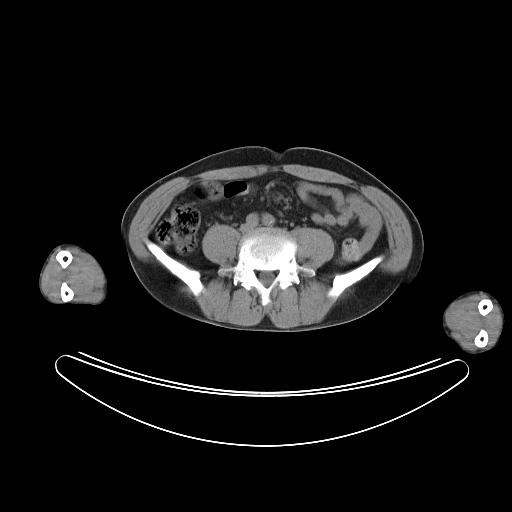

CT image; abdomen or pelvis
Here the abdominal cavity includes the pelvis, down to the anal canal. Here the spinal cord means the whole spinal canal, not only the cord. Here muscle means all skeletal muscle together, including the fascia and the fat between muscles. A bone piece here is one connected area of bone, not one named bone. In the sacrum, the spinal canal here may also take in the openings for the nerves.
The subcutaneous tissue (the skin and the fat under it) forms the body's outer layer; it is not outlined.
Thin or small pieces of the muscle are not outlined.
{"left_arm":[[[476,289],[485,290],[492,294],[498,300],[504,312],[504,320],[503,321],[501,332],[499,335],[499,338],[496,345],[493,348],[487,351],[476,354],[471,354],[463,351],[455,342],[450,339],[445,334],[442,327],[442,314],[446,306],[454,298],[462,293]]],"spinal_cord":[[[259,269],[260,269],[263,271],[272,271],[273,270],[276,271],[276,272],[277,273],[276,276],[275,276],[274,277],[274,278],[268,286],[265,286],[262,283],[262,282],[257,276],[257,275],[256,274],[256,272],[257,271],[257,270],[258,270]]],"muscle":[[[258,164],[323,168],[383,191],[401,208],[411,228],[412,252],[407,265],[397,273],[377,271],[370,274],[316,323],[284,328],[275,326],[267,316],[254,325],[207,317],[193,299],[179,290],[174,276],[198,297],[205,290],[200,272],[216,272],[219,276],[232,273],[233,285],[239,284],[247,291],[253,288],[265,307],[271,302],[275,288],[284,290],[298,285],[300,272],[310,277],[316,272],[341,273],[333,276],[326,293],[328,298],[336,300],[385,257],[383,253],[389,245],[384,218],[379,208],[358,189],[276,170],[190,184],[173,197],[155,221],[149,238],[144,240],[147,249],[170,273],[157,263],[140,260],[130,246],[129,227],[140,204],[155,189],[181,176]],[[67,247],[77,248],[88,255],[98,266],[104,280],[103,293],[98,301],[73,301],[74,291],[64,280],[59,288],[62,301],[53,300],[44,293],[41,280],[45,267],[52,254],[61,249],[56,253],[55,259],[65,269],[73,259],[72,253],[64,248]],[[473,294],[485,294],[488,297],[482,298],[477,303],[477,310],[482,316],[492,310],[493,302],[499,309],[501,320],[493,343],[486,346],[488,332],[481,328],[473,338],[473,343],[478,348],[471,350],[465,348],[452,336],[446,324],[446,314],[455,302]],[[305,226],[321,229],[327,232],[331,236],[334,242],[334,252],[332,257],[329,260],[323,263],[316,270],[311,267],[305,266],[298,263],[296,258],[296,253],[298,250],[298,243],[296,241],[296,239],[292,235],[291,232],[297,227],[304,227]],[[215,224],[224,224],[230,226],[232,228],[235,229],[238,232],[239,235],[241,236],[237,247],[237,259],[235,264],[231,266],[228,266],[227,267],[220,266],[217,263],[215,263],[208,259],[205,256],[202,250],[202,240],[203,237],[207,230]]],"bones":[{"outer":[[256,228],[289,231],[297,243],[297,263],[315,271],[312,276],[300,271],[298,284],[293,283],[284,289],[275,287],[270,293],[270,302],[265,306],[253,287],[247,290],[239,283],[234,285],[232,272],[225,275],[217,273],[220,267],[236,264],[241,238]],"hole":[[259,269],[260,269],[263,271],[272,271],[273,270],[276,271],[276,272],[277,273],[276,276],[275,276],[274,277],[274,278],[268,286],[265,286],[262,283],[262,282],[257,276],[257,275],[256,274],[256,272],[257,271],[257,270],[258,270]]},[[146,239],[151,240],[159,246],[169,256],[177,260],[188,268],[199,271],[200,273],[200,280],[204,287],[204,290],[198,296],[195,296],[190,290],[189,287],[178,277],[171,273],[171,272],[164,265],[163,265],[148,249],[145,243],[145,240]],[[379,254],[383,254],[384,256],[383,259],[377,265],[377,266],[367,275],[355,283],[348,286],[338,296],[336,299],[333,299],[327,296],[327,293],[332,285],[332,281],[335,275],[337,274],[345,273],[350,270],[352,270],[358,266],[365,263],[373,257]],[[62,249],[65,249],[66,250],[68,250],[71,253],[71,254],[72,255],[72,259],[71,260],[71,261],[70,262],[70,263],[65,268],[63,268],[61,266],[61,265],[60,264],[60,263],[56,259],[56,255],[57,254],[57,253],[60,250],[61,250]],[[64,281],[67,283],[67,284],[72,289],[72,290],[73,291],[73,297],[72,298],[72,299],[70,301],[67,301],[66,302],[64,302],[62,300],[62,299],[61,298],[61,294],[60,293],[60,288],[61,287],[61,284],[62,283],[62,282],[63,282]],[[481,329],[484,329],[487,332],[487,335],[488,336],[488,338],[487,339],[487,343],[486,344],[486,345],[484,347],[478,347],[477,346],[476,346],[475,345],[475,344],[474,343],[474,338],[475,337],[475,336],[479,332],[479,331]],[[484,298],[488,298],[489,299],[490,299],[491,300],[491,301],[492,302],[492,308],[491,309],[491,310],[487,314],[486,314],[485,315],[482,315],[479,312],[479,311],[478,310],[478,303],[482,299],[483,299]]],"abdominal_cavity":[[[276,171],[349,186],[378,208],[387,248],[356,267],[344,272],[317,272],[333,257],[335,242],[327,231],[306,225],[291,231],[256,227],[242,236],[230,225],[215,223],[203,235],[201,250],[219,267],[204,273],[172,257],[150,238],[174,197],[190,185]]],"torso":[[[239,146],[319,148],[349,159],[381,180],[410,207],[420,224],[424,251],[415,279],[409,285],[400,287],[382,305],[363,317],[340,325],[300,332],[224,328],[186,317],[156,301],[138,281],[122,244],[120,226],[125,209],[138,193],[161,177],[207,155]]],"right_arm":[[[66,242],[75,243],[83,247],[92,254],[101,264],[107,276],[107,294],[105,299],[101,303],[97,305],[84,305],[83,304],[76,304],[75,305],[64,304],[60,305],[51,303],[47,301],[42,296],[38,286],[38,278],[41,267],[49,252],[55,246]]]}